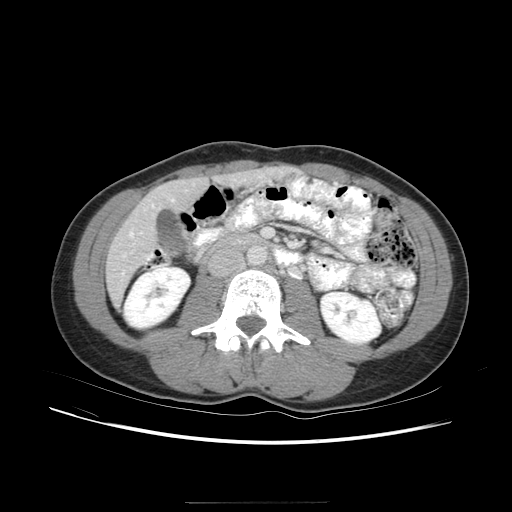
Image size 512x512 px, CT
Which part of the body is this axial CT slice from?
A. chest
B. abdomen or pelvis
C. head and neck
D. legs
B. abdomen or pelvis
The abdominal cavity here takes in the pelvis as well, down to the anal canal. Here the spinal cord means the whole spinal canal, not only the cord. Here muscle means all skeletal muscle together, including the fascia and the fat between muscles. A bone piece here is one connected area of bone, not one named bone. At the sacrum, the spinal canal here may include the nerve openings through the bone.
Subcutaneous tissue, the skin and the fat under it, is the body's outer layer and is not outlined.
{"muscle":[{"outer":[[299,402],[335,396],[351,383],[362,363],[385,358],[406,349],[439,323],[451,290],[452,268],[444,238],[429,214],[414,200],[399,195],[368,176],[326,163],[294,164],[280,160],[261,162],[238,159],[190,165],[146,185],[120,191],[108,199],[88,222],[73,263],[74,299],[89,324],[120,348],[144,356],[155,375],[170,388],[200,395],[207,394],[206,390],[227,394],[245,388],[257,388],[281,399],[300,397],[294,400]],"hole":[[249,352],[310,343],[282,321],[287,278],[309,284],[328,335],[375,347],[403,327],[418,255],[388,196],[285,166],[174,178],[142,196],[106,249],[114,318],[134,336],[173,326],[197,276],[211,275],[224,282],[221,314],[191,334]]}],"bones":[{"outer":[[249,352],[256,344],[261,350],[272,346],[276,352],[281,352],[282,344],[288,339],[304,345],[310,343],[306,336],[282,321],[282,293],[276,278],[255,268],[235,274],[229,281],[220,316],[191,331],[193,335],[213,332],[217,349],[236,351],[244,343]],"hole":[[248,335],[252,335],[256,332],[257,332],[260,329],[261,329],[265,325],[265,321],[263,319],[260,318],[256,315],[251,315],[250,316],[243,316],[242,317],[240,317],[239,318],[238,318],[236,321],[236,323],[237,324],[237,325],[244,332],[245,332]]}],"torso":[[[299,412],[362,407],[390,398],[426,379],[452,352],[467,315],[469,273],[456,231],[431,199],[383,165],[341,147],[272,147],[218,140],[128,174],[101,189],[78,210],[54,260],[50,304],[62,339],[82,364],[106,379],[158,398],[218,404],[254,396]]],"abdominal_cavity":[[[375,347],[406,322],[417,294],[418,255],[397,205],[353,183],[285,166],[166,180],[128,212],[106,249],[107,303],[134,336],[175,325],[198,275],[224,282],[221,310],[229,279],[255,267],[280,283],[281,314],[282,282],[303,279],[317,298],[326,334]]],"spinal_cord":[[[248,335],[252,335],[256,332],[257,332],[260,329],[261,329],[265,325],[265,321],[263,319],[260,318],[256,315],[251,315],[250,316],[243,316],[242,317],[240,317],[239,318],[238,318],[236,321],[236,323],[237,324],[237,325],[244,332],[245,332]]]}